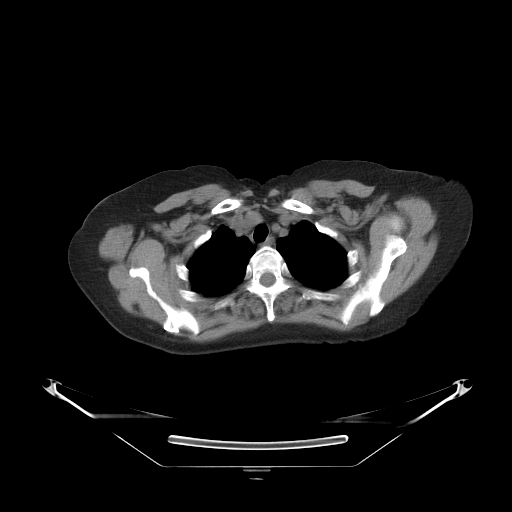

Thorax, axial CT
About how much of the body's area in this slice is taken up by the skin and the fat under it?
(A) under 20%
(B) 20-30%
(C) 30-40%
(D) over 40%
(C) 30-40%
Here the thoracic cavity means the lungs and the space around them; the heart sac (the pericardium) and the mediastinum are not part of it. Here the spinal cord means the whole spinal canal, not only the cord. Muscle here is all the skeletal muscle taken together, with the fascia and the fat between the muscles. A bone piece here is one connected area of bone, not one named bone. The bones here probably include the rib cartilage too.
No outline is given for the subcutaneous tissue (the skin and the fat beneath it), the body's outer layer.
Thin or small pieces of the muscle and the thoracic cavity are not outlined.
{"spinal_cord":[[[265,273],[270,273],[271,274],[272,274],[274,277],[274,281],[273,282],[273,283],[272,284],[271,284],[268,286],[266,286],[265,285],[264,285],[263,284],[262,284],[260,282],[260,278],[261,277],[261,276],[263,274],[264,274]]],"muscle":[{"outer":[[313,179],[353,179],[415,194],[437,210],[438,241],[428,267],[385,306],[382,286],[408,248],[401,235],[386,235],[377,269],[338,316],[347,326],[357,306],[368,302],[367,322],[349,331],[271,323],[276,298],[294,279],[307,287],[298,301],[332,302],[340,295],[327,291],[353,287],[362,271],[348,273],[359,251],[346,251],[336,230],[264,209],[208,228],[192,241],[187,263],[174,269],[191,285],[177,289],[185,301],[221,296],[241,284],[263,302],[269,323],[209,342],[175,335],[181,329],[197,335],[200,324],[190,310],[157,294],[142,265],[131,266],[128,274],[143,281],[165,313],[162,327],[120,306],[98,254],[110,227],[144,215],[173,193],[208,183],[262,196]],"holes":[[[228,197],[236,197],[237,198],[242,198],[243,199],[243,202],[242,204],[239,207],[237,208],[235,208],[232,210],[230,210],[229,211],[226,211],[225,212],[222,212],[221,213],[212,214],[211,213],[211,210],[212,208],[219,202],[220,202],[222,200]],[[290,197],[292,197],[297,200],[299,200],[307,204],[309,206],[310,206],[313,209],[313,213],[311,214],[306,214],[305,213],[301,213],[295,210],[291,210],[290,209],[287,209],[281,206],[280,204],[281,201],[286,198],[289,198]],[[227,296],[231,296],[232,297],[232,298],[234,301],[234,303],[232,305],[228,305],[225,307],[222,307],[221,308],[219,308],[218,309],[213,309],[211,307],[211,306],[214,303],[215,303],[217,301],[218,301],[220,299],[222,299],[223,298],[224,298]],[[394,215],[397,215],[398,216],[399,216],[401,218],[401,219],[402,220],[402,221],[403,222],[403,226],[402,227],[402,228],[401,229],[396,229],[395,228],[394,228],[394,227],[392,225],[392,224],[391,223],[391,218]]]}],"bones":[{"outer":[[264,245],[269,245],[275,248],[280,253],[293,278],[292,280],[293,286],[281,292],[275,298],[273,302],[273,310],[275,317],[271,322],[268,321],[267,319],[266,307],[261,298],[256,294],[245,290],[242,287],[246,266],[251,256],[258,248]],"hole":[[265,273],[270,273],[271,274],[272,274],[274,277],[274,281],[273,282],[273,283],[272,284],[271,284],[268,286],[266,286],[265,285],[264,285],[263,284],[262,284],[260,282],[260,278],[261,277],[261,276],[263,274],[264,274]]},[[389,234],[401,236],[407,248],[404,253],[392,261],[387,277],[381,286],[380,297],[385,304],[377,315],[371,317],[369,315],[370,303],[368,301],[361,302],[356,306],[351,319],[346,325],[339,316],[350,296],[359,285],[362,285],[378,269],[386,237]],[[141,266],[147,268],[149,271],[151,287],[158,296],[169,305],[176,308],[185,308],[193,314],[200,328],[197,334],[185,328],[181,328],[177,334],[170,333],[163,328],[166,313],[158,302],[148,294],[144,281],[139,277],[131,277],[129,274],[131,267]],[[304,288],[310,288],[319,291],[326,291],[332,293],[337,293],[339,295],[339,297],[337,299],[332,301],[319,300],[318,299],[309,299],[308,300],[306,299],[302,299],[301,300],[298,300],[298,298],[301,294],[301,291]],[[228,197],[236,197],[237,198],[242,198],[243,199],[243,202],[242,204],[239,207],[237,208],[235,208],[232,210],[230,210],[229,211],[226,211],[225,212],[222,212],[221,213],[212,214],[211,213],[211,210],[212,208],[219,202],[220,202],[222,200]],[[290,197],[292,197],[297,200],[299,200],[307,204],[309,206],[310,206],[313,209],[313,213],[311,214],[306,214],[305,213],[301,213],[295,210],[291,210],[290,209],[287,209],[281,206],[280,204],[281,201],[286,198],[289,198]],[[180,288],[181,289],[185,289],[186,290],[192,290],[193,291],[195,291],[197,292],[199,294],[200,294],[201,296],[201,299],[197,301],[188,301],[187,300],[185,300],[180,296],[178,292],[178,289]],[[358,270],[360,270],[361,271],[361,276],[360,277],[360,279],[358,281],[358,282],[356,284],[355,284],[353,286],[351,286],[350,287],[342,287],[341,286],[341,284],[342,283],[342,282],[350,274],[351,274],[352,273],[353,273],[354,272],[355,272]],[[208,229],[210,229],[212,231],[212,233],[211,234],[211,236],[209,238],[209,239],[208,240],[207,240],[205,242],[204,242],[202,244],[201,244],[196,249],[195,249],[193,246],[193,241],[198,236],[199,236],[201,234],[202,234],[203,233],[204,233]],[[316,221],[317,221],[321,225],[322,225],[323,226],[326,226],[327,227],[336,231],[337,232],[337,238],[336,239],[336,240],[332,237],[329,236],[327,234],[325,234],[324,233],[322,233],[321,232],[320,232],[316,228],[316,227],[314,224],[314,223]],[[227,296],[231,296],[232,297],[232,298],[234,301],[234,303],[232,305],[228,305],[225,307],[222,307],[221,308],[219,308],[218,309],[213,309],[211,307],[211,306],[214,303],[215,303],[217,301],[218,301],[220,299],[222,299],[223,298],[224,298]],[[176,264],[184,264],[187,267],[187,268],[188,269],[188,281],[185,281],[184,280],[183,280],[182,279],[181,279],[177,275],[177,273],[176,272],[176,270],[175,269],[175,265]],[[352,249],[356,249],[358,251],[358,257],[357,258],[357,261],[355,263],[355,264],[354,265],[353,265],[351,267],[349,267],[348,266],[348,263],[347,262],[347,252],[349,250],[351,250]],[[394,215],[397,215],[398,216],[399,216],[401,218],[401,219],[402,220],[402,221],[403,222],[403,226],[402,227],[402,228],[401,229],[396,229],[395,228],[394,228],[394,227],[392,225],[392,224],[391,223],[391,218]]],"thoracic_cavity":[[[302,219],[313,224],[315,228],[320,233],[327,235],[335,240],[346,252],[346,262],[347,263],[348,275],[341,283],[331,287],[327,290],[319,290],[311,288],[296,280],[293,277],[283,256],[276,248],[277,240],[280,237],[285,237],[289,233],[291,227]],[[221,224],[225,224],[234,232],[236,236],[247,237],[255,246],[256,249],[250,256],[245,266],[244,275],[242,278],[241,283],[224,294],[217,296],[206,296],[191,289],[192,285],[189,280],[189,269],[186,265],[195,251],[201,245],[210,239],[213,232]]],"mediastinum":[[[260,210],[264,210],[280,216],[301,219],[290,227],[288,233],[285,236],[280,236],[276,240],[275,247],[269,244],[264,244],[257,248],[247,236],[236,235],[235,232],[226,224],[226,222],[230,219],[233,219],[234,217],[257,212]]],"torso":[[[321,159],[368,160],[399,169],[383,193],[380,213],[386,229],[401,241],[443,242],[472,223],[451,271],[398,331],[339,345],[288,344],[206,355],[170,354],[117,332],[70,273],[68,245],[87,213],[107,195],[142,178],[163,170],[210,164],[262,183]]],"left_arm":[[[400,169],[421,170],[428,173],[438,173],[445,178],[451,177],[459,178],[466,184],[472,195],[474,209],[473,210],[474,211],[473,221],[454,236],[435,243],[414,243],[401,240],[395,237],[387,229],[384,223],[381,213],[381,204],[384,193],[391,179]]]}